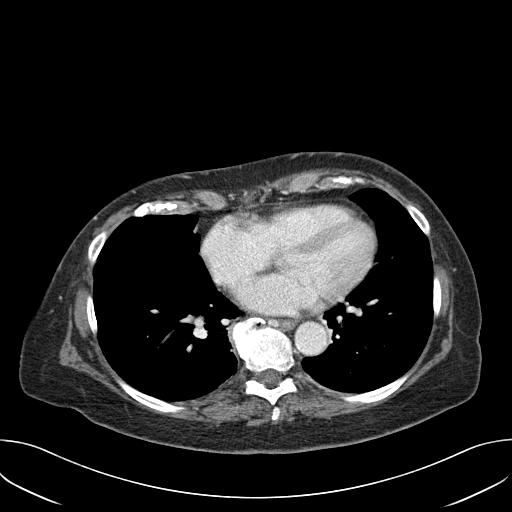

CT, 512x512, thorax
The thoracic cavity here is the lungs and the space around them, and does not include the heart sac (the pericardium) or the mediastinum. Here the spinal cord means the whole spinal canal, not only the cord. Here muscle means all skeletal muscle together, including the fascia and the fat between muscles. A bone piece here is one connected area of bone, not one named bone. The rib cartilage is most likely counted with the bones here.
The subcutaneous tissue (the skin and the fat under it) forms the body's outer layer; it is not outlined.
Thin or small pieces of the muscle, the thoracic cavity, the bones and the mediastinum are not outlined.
The thoracic cavity appears in 2 outlined pieces: piece 1: 190 213; 197 216; 193 232; 199 235; 198 254; 211 280; 216 289; 241 311; 241 314; 233 320; 231 340; 233 351; 242 362; 237 372; 214 390; 193 399; 171 402; 147 394; 126 382; 106 358; 97 337; 93 270; 108 237; 127 218; piece 2: 367 187; 381 189; 397 200; 427 237; 433 274; 432 322; 421 352; 403 374; 377 388; 351 393; 318 383; 298 364; 304 358; 318 356; 326 350; 332 339; 324 313; 343 302; 376 263; 378 238; 375 223; 362 207; 349 198; 354 192. The mediastinum appears in 3 outlined pieces: piece 1: 329 308; 323 313; 323 319; 329 329; 331 341; 322 353; 315 356; 306 356; 299 363; 294 357; 294 350; 289 337; 279 329; 266 325; 262 318; 249 317; 237 322; 234 326; 234 320; 242 314; 240 309; 264 316; 300 317; 316 314; piece 2: 353 185; 367 186; 354 191; 348 197; 344 195; 325 195; 319 197; 306 197; 299 199; 287 199; 283 201; 266 202; 273 198; 274 196; 275 197; 278 195; 288 195; 292 193; 302 194; 306 193; 312 189; 327 190; 336 188; 345 188; piece 3: 230 204; 237 204; 239 207; 234 211; 218 214; 208 219; 203 225; 203 229; 201 233; 200 239; 200 235; 197 232; 194 232; 194 228; 198 221; 198 216; 196 214; 192 213; 192 212; 194 210; 197 210; 204 207; 211 210; 221 210. The bones appear in 9 outlined pieces: piece 1: 255 317; 288 337; 297 363; 297 367; 288 373; 293 378; 297 391; 287 392; 277 399; 279 415; 276 420; 271 418; 273 407; 265 398; 244 393; 245 381; 250 373; 244 371; 242 375; 240 368; 243 362; 234 351; 232 334; 235 325, around a hole outlined by 267 369; 273 369; 274 370; 279 372; 281 375; 281 379; 278 382; 277 385; 274 387; 271 387; 270 388; 267 387; 263 383; 262 383; 259 380; 259 379; 258 378; 259 377; 259 374; 262 371; 263 371; 264 370; 266 370; piece 2: 199 190; 213 191; 225 196; 232 192; 234 198; 230 199; 228 197; 226 199; 228 204; 221 209; 211 209; 204 206; 184 214; 147 214; 141 217; 129 216; 122 221; 129 213; 144 202; 175 199; 182 199; 191 202; 194 199; 193 195; piece 3: 312 172; 318 173; 322 177; 328 175; 332 176; 343 175; 353 177; 359 176; 364 178; 368 182; 365 185; 353 184; 345 187; 336 187; 327 189; 312 188; 308 191; 302 193; 292 192; 288 194; 280 194; 279 190; 287 182; 297 176; piece 4: 412 369; 413 370; 410 375; 397 389; 382 399; 367 403; 346 401; 342 399; 338 394; 328 393; 316 384; 312 384; 295 375; 297 371; 300 371; 304 377; 305 375; 309 375; 318 384; 326 388; 343 393; 357 394; 382 387; piece 5: 116 377; 121 378; 126 383; 132 387; 147 395; 155 397; 158 399; 167 402; 173 403; 176 405; 183 405; 185 408; 183 410; 177 411; 176 412; 161 412; 156 409; 147 406; 139 402; 125 392; 116 382; 115 380; piece 6: 104 230; 107 231; 109 234; 106 240; 104 242; 104 244; 101 248; 97 256; 97 258; 95 261; 95 263; 94 265; 92 265; 89 262; 88 260; 88 247; 92 239; 96 235; 97 235; 100 232; piece 7: 407 203; 410 203; 412 204; 415 207; 416 207; 425 216; 429 224; 429 226; 430 227; 430 233; 428 236; 426 236; 426 235; 421 230; 421 229; 418 226; 416 222; 413 219; 413 218; 410 215; 408 211; 405 208; 404 205; piece 8: 435 274; 436 274; 438 276; 438 278; 439 279; 439 281; 440 282; 440 286; 441 287; 441 305; 440 306; 440 308; 439 309; 439 313; 438 314; 438 315; 437 316; 437 317; 435 319; 433 319; 433 276; piece 9: 87 293; 90 293; 92 295; 92 299; 93 300; 93 307; 94 308; 95 317; 97 321; 97 334; 96 336; 94 336; 93 335; 92 333; 92 331; 90 328; 89 323; 88 322; 88 319; 87 318; 87 313; 86 312; 86 295. The spinal cord is outlined by 267 369; 273 369; 274 370; 279 372; 281 375; 281 379; 278 382; 277 385; 274 387; 271 387; 270 388; 267 387; 263 383; 262 383; 259 380; 259 379; 258 378; 259 377; 259 374; 262 371; 263 371; 264 370; 266 370. The pericardium is outlined by 325 196; 344 196; 362 208; 373 221; 377 238; 375 263; 363 279; 345 296; 343 301; 316 313; 300 316; 264 315; 240 308; 216 287; 199 254; 200 240; 204 225; 208 220; 218 215; 234 212; 241 207; 258 203; 283 202. The torso is outlined by 319 150; 355 152; 395 167; 432 198; 452 226; 472 265; 481 307; 480 381; 470 399; 408 428; 354 444; 294 453; 232 454; 174 447; 128 436; 96 424; 73 409; 23 392; 18 365; 25 329; 64 252; 100 208; 131 187; 164 175. The muscle is outlined by 313 168; 346 168; 361 170; 376 175; 389 182; 408 198; 417 202; 430 221; 438 238; 440 248; 442 251; 441 256; 452 280; 452 284; 454 288; 452 346; 446 356; 442 360; 430 368; 416 381; 380 405; 357 412; 333 416; 329 419; 323 417; 311 418; 307 416; 303 416; 289 423; 286 421; 282 421; 280 423; 276 424; 266 422; 257 426; 247 426; 244 424; 243 421; 236 421; 235 422; 223 422; 219 425; 216 425; 201 421; 186 420; 181 418; 169 417; 148 411; 123 398; 85 372; 76 370; 74 368; 68 366; 61 365; 59 363; 58 355; 67 331; 68 306; 73 301; 74 298; 73 293; 74 288; 71 286; 71 283; 74 279; 74 277; 78 274; 78 266; 82 259; 87 244; 92 237; 94 229; 101 225; 111 214; 122 207; 134 202; 140 202; 145 199; 153 200; 155 198; 155 196; 157 195; 162 195; 171 192; 177 192; 191 189; 213 189; 218 191; 219 190; 229 191; 238 188; 248 188; 264 183; 266 181; 271 181; 286 174, around a hole outlined by 312 172; 362 177; 402 206; 412 204; 429 224; 441 305; 407 379; 382 399; 350 402; 297 377; 297 371; 306 374; 294 367; 288 373; 297 391; 277 399; 276 420; 265 398; 244 393; 250 373; 239 369; 204 395; 173 401; 185 407; 176 412; 161 412; 125 392; 87 318; 92 239; 104 230; 110 235; 144 202; 191 202; 207 190; 232 192; 227 202; 240 208; 262 197; 265 203; 293 178.